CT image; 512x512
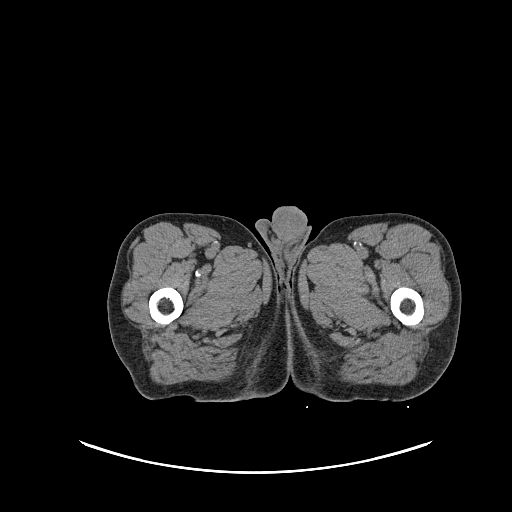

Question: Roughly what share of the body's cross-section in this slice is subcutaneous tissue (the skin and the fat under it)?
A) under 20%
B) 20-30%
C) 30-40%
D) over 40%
Answer: C) 30-40%
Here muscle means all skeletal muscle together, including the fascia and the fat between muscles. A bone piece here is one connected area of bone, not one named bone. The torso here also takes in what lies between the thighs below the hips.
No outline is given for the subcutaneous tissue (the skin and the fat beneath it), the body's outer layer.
{"torso":[[[281,205],[298,207],[305,213],[307,223],[312,227],[291,273],[291,312],[313,362],[314,395],[297,389],[289,379],[284,387],[274,395],[247,399],[251,390],[252,372],[280,300],[280,288],[274,261],[255,223],[260,218],[270,220],[273,211]]],"left_leg":[[[386,212],[411,214],[428,221],[439,229],[451,247],[461,285],[461,313],[454,354],[438,381],[426,392],[415,398],[400,402],[376,400],[328,401],[314,394],[314,362],[307,350],[305,339],[297,326],[292,312],[293,269],[306,245],[329,222],[345,216]]],"bones":[[[400,286],[406,286],[414,289],[420,294],[422,298],[422,300],[423,301],[423,308],[424,309],[423,317],[421,320],[415,325],[413,325],[412,326],[406,326],[402,324],[393,315],[390,309],[390,297],[391,296],[391,294],[394,291],[394,290]],[[166,286],[170,286],[174,288],[179,292],[183,300],[183,302],[184,303],[184,307],[181,314],[177,318],[173,320],[170,323],[166,324],[165,325],[163,325],[156,322],[151,317],[150,313],[149,312],[149,297],[150,295],[157,289],[161,287],[165,287]]],"muscle":[{"outer":[[167,219],[185,219],[243,238],[259,250],[270,266],[273,284],[268,303],[244,342],[239,359],[239,369],[230,381],[186,381],[169,385],[152,382],[148,375],[148,365],[141,351],[140,335],[123,315],[121,292],[129,277],[129,247],[135,236],[145,226]],"hole":[[166,286],[170,286],[174,288],[179,292],[183,300],[183,302],[184,303],[184,307],[181,314],[177,318],[173,320],[170,323],[166,324],[165,325],[163,325],[156,322],[151,317],[150,313],[149,312],[149,297],[150,295],[157,289],[161,287],[165,287]]},{"outer":[[390,220],[418,224],[431,232],[441,243],[444,254],[444,274],[451,295],[449,310],[446,317],[429,333],[429,349],[413,381],[405,385],[340,382],[335,378],[336,354],[334,350],[312,323],[301,305],[298,292],[300,265],[305,254],[313,246],[359,226]],"hole":[[400,286],[406,286],[414,289],[420,294],[422,298],[422,300],[423,301],[423,308],[424,309],[423,317],[421,320],[415,325],[413,325],[412,326],[406,326],[402,324],[393,315],[390,309],[390,297],[391,296],[391,294],[394,291],[394,290]]}],"right_leg":[[[165,212],[208,213],[233,218],[245,225],[254,234],[273,261],[279,288],[279,300],[252,369],[250,390],[244,400],[197,402],[189,396],[154,400],[146,398],[134,387],[128,371],[113,346],[107,318],[107,294],[119,247],[125,236],[137,223],[152,215]]]}